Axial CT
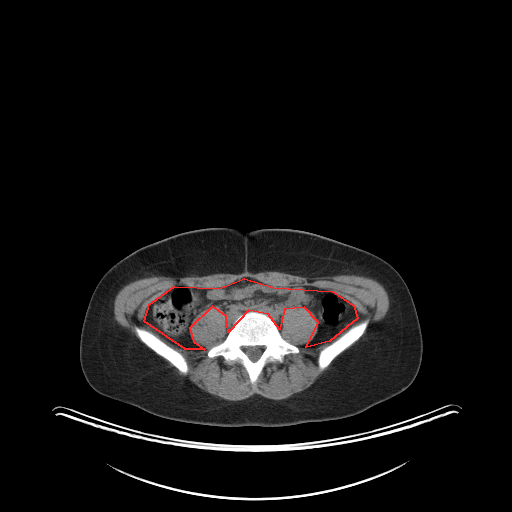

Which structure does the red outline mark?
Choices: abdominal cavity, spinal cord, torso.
red: abdominal cavity.
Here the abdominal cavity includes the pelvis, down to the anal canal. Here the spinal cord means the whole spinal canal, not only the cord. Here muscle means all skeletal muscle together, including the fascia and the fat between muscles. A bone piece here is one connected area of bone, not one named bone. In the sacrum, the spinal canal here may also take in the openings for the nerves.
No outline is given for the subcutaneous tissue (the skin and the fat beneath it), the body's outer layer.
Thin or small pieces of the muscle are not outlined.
Outlines:
abdominal cavity: 244,278 273,287 332,291 353,305 357,318 329,341 306,347 318,322 304,307 284,309 279,329 268,314 248,310 228,332 226,316 212,306 189,328 193,341 204,349 185,349 144,321 149,304 174,286 219,288
bones 1: 248,311 258,311 268,315 276,324 281,336 299,349 297,353 286,354 281,363 269,361 253,384 249,379 247,371 239,361 235,360 228,364 220,355 214,357 207,355 208,351 213,346 221,343 225,339 236,318 with a hole at 249,346 259,346 260,347 263,347 263,348 262,349 262,352 261,353 261,354 260,355 259,358 257,360 256,360 255,361 252,361 248,357 248,356 246,354 245,351 242,348 243,347 248,347
bones 2: 366,318 368,318 369,319 369,322 366,329 362,335 350,346 349,346 337,356 336,356 327,367 326,367 323,370 321,370 318,366 318,362 317,361 320,351 326,346 329,345 332,342 333,342 350,327
bones 3: 136,325 137,326 142,327 152,332 169,346 179,352 185,358 187,362 187,364 188,365 188,370 187,372 185,374 183,374 170,362 169,362 160,355 157,354 153,350 152,350 143,342 142,342 135,332 134,326
torso: 208,227 243,231 261,228 302,230 361,248 391,264 411,293 421,328 422,359 412,383 399,394 355,415 285,426 216,426 183,422 154,415 96,392 82,372 79,342 89,300 101,277 111,266 140,247 178,233
muscle 1: 296,306 310,311 317,322 315,335 304,347 315,348 341,334 319,351 318,368 323,371 329,367 305,390 279,400 254,394 232,401 198,388 177,373 176,368 185,375 188,362 166,342 188,351 204,350 192,338 190,328 201,312 212,307 225,316 227,334 206,355 220,356 228,365 239,362 253,385 269,362 281,364 286,355 300,351 280,332 282,312
muscle 2: 245,270 252,273 278,271 307,278 335,275 369,277 386,290 388,310 381,320 373,323 365,335 348,348 363,335 370,319 366,317 350,326 358,318 357,310 349,300 332,290 311,285 273,286 250,277 219,287 174,285 153,299 145,310 143,321 160,337 136,324 133,329 139,340 118,324 114,316 115,297 128,283 152,276 174,278 215,273 238,274
spinal cord: 249,346 259,346 260,347 263,347 263,348 262,349 262,352 261,353 261,354 260,355 259,358 257,360 256,360 255,361 252,361 248,357 248,356 246,354 245,351 242,348 243,347 248,347